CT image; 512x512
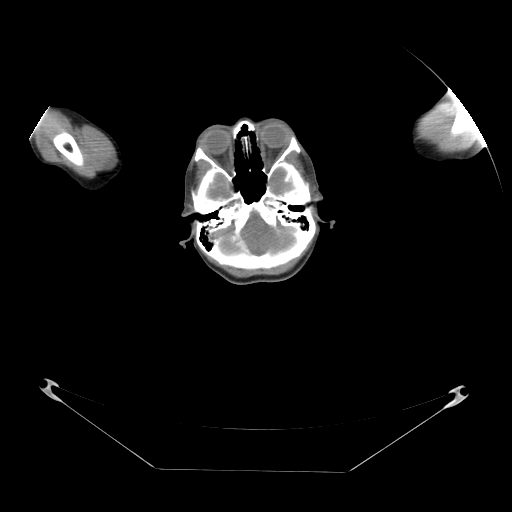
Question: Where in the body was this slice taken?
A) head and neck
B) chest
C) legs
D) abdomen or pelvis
Answer: A) head and neck
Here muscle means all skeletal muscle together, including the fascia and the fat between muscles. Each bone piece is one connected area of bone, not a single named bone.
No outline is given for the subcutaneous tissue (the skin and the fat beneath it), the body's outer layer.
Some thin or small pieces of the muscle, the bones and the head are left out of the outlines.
{"right_arm":[[[52,104],[66,106],[81,113],[87,118],[106,130],[117,142],[122,154],[122,158],[123,159],[122,167],[119,173],[104,189],[100,191],[89,191],[86,190],[80,187],[59,168],[43,164],[40,162],[34,155],[29,144],[30,136],[42,114],[45,110]]],"left_arm":[[[447,92],[450,94],[453,93],[460,100],[465,108],[469,112],[484,139],[483,147],[480,152],[469,159],[455,160],[447,162],[435,161],[417,155],[414,153],[411,147],[410,143],[410,130],[414,119],[420,113],[427,110],[444,93]]],"bones":[{"outer":[[292,134],[300,152],[292,151],[286,160],[309,185],[313,238],[299,256],[274,267],[220,264],[195,239],[193,222],[201,216],[193,212],[191,190],[210,167],[194,160],[196,148],[228,171],[233,155],[234,185],[250,202],[264,192],[260,151],[269,167]],"holes":[[[252,213],[256,213],[267,225],[274,229],[277,228],[278,224],[283,227],[291,228],[289,233],[293,237],[293,241],[287,246],[278,249],[276,251],[272,251],[270,249],[267,249],[260,254],[256,254],[251,252],[241,236],[241,231],[246,225],[252,215]],[[231,226],[233,226],[233,230],[232,231],[232,233],[229,236],[229,239],[238,247],[239,247],[240,249],[237,251],[231,251],[230,252],[228,252],[227,251],[224,251],[220,245],[223,239],[223,237],[221,235],[216,236],[215,234],[218,231],[226,229]],[[218,175],[220,175],[225,180],[225,188],[227,190],[227,191],[228,192],[228,195],[227,196],[221,196],[220,195],[219,195],[216,197],[212,197],[211,196],[210,196],[208,193],[209,192],[209,190],[215,183],[215,182],[216,181],[216,178]],[[278,169],[281,169],[284,172],[283,174],[283,176],[282,177],[282,181],[284,183],[286,184],[289,184],[290,185],[290,187],[289,188],[287,189],[285,189],[281,192],[275,192],[273,191],[272,189],[272,184],[271,183],[272,181],[272,177],[274,173]]]},{"outer":[[242,119],[248,119],[253,122],[257,130],[258,136],[257,146],[258,147],[255,144],[255,135],[252,132],[250,133],[250,137],[253,143],[252,154],[250,159],[246,159],[242,155],[239,141],[237,139],[235,143],[232,138],[232,128],[234,124]],"hole":[[243,125],[245,125],[246,126],[246,129],[247,130],[247,132],[248,133],[247,133],[246,134],[242,134],[241,135],[240,135],[239,136],[239,134],[240,133],[240,132],[241,131],[241,130],[242,129],[242,127],[243,126]]},[[62,131],[66,131],[68,133],[69,133],[74,138],[75,141],[77,143],[78,147],[83,157],[83,164],[82,165],[80,166],[79,165],[77,165],[73,163],[63,154],[62,154],[54,145],[53,141],[52,140],[53,137],[56,134],[60,133]],[[465,107],[465,108],[469,112],[470,115],[472,117],[472,118],[470,121],[470,123],[469,124],[465,133],[464,133],[463,134],[460,134],[459,135],[457,135],[456,136],[452,136],[450,134],[450,128],[451,127],[452,122],[456,118],[457,115]]],"brain":[[[252,213],[256,213],[267,225],[274,229],[277,228],[278,224],[283,227],[291,228],[289,233],[293,237],[293,241],[287,246],[278,249],[276,251],[272,251],[270,249],[267,249],[260,254],[256,254],[251,252],[241,236],[241,231],[246,225],[252,215]],[[231,226],[233,226],[233,230],[232,231],[232,233],[229,236],[229,239],[238,247],[239,247],[240,249],[237,251],[231,251],[230,252],[228,252],[227,251],[224,251],[220,245],[223,239],[223,237],[221,235],[216,236],[215,234],[218,231],[226,229]],[[218,175],[220,175],[225,180],[225,188],[227,190],[227,191],[228,192],[228,195],[227,196],[221,196],[220,195],[219,195],[216,197],[212,197],[211,196],[210,196],[208,193],[209,192],[209,190],[215,183],[215,182],[216,181],[216,178]],[[278,169],[281,169],[284,172],[283,174],[283,176],[282,177],[282,181],[284,183],[286,184],[289,184],[290,185],[290,187],[289,188],[287,189],[285,189],[281,192],[275,192],[273,191],[272,189],[272,184],[271,183],[272,181],[272,177],[274,173]]],"head":[{"outer":[[242,115],[277,117],[291,125],[313,162],[324,196],[318,214],[322,219],[335,220],[332,228],[321,224],[317,244],[305,265],[282,281],[231,283],[202,261],[191,241],[185,248],[179,244],[191,229],[180,214],[184,174],[195,139],[207,126],[233,123]],"holes":[[[251,133],[254,135],[254,144],[259,150],[259,156],[262,162],[260,170],[264,174],[265,180],[263,184],[263,192],[259,197],[247,201],[234,182],[234,178],[237,174],[234,162],[234,153],[237,140],[241,155],[246,160],[251,159],[254,147]],[[243,125],[245,125],[246,126],[246,129],[247,130],[247,132],[248,133],[247,133],[246,134],[242,134],[241,135],[240,135],[239,136],[239,134],[240,133],[240,132],[241,131],[241,130],[242,129],[242,127],[243,126]]]}],"muscle":[{"outer":[[49,108],[62,112],[69,117],[72,122],[75,124],[78,125],[88,124],[104,134],[111,142],[115,149],[117,157],[116,165],[110,170],[98,172],[93,178],[85,178],[80,176],[63,164],[45,160],[37,148],[35,141],[33,139],[33,135],[42,115]],"hole":[[62,131],[66,131],[68,133],[69,133],[74,138],[75,141],[77,143],[78,147],[83,157],[83,164],[82,165],[80,166],[79,165],[77,165],[73,163],[63,154],[62,154],[54,145],[53,141],[52,140],[53,137],[56,134],[60,133]]},[[453,99],[459,99],[464,107],[451,122],[449,128],[449,134],[452,137],[465,134],[473,119],[478,127],[477,128],[478,136],[474,143],[464,151],[443,153],[438,151],[434,145],[418,139],[416,128],[420,119],[425,114],[436,106],[443,103],[448,103]],[[311,242],[305,253],[291,269],[283,273],[275,275],[259,274],[252,275],[248,277],[236,277],[231,275],[219,266],[217,266],[211,262],[206,256],[212,258],[220,265],[225,265],[237,269],[244,269],[245,270],[270,269],[283,265],[291,260],[299,257]],[[200,160],[205,161],[209,165],[209,167],[204,172],[197,185],[190,190],[190,195],[192,200],[192,210],[190,210],[188,207],[188,195],[189,194],[189,184],[190,183],[190,174],[191,173],[190,172],[191,171],[191,168],[194,164],[194,161],[197,162]],[[292,152],[294,152],[297,154],[299,154],[301,152],[303,156],[303,158],[305,160],[306,166],[308,169],[308,171],[311,176],[313,184],[315,187],[315,195],[313,198],[310,192],[310,185],[309,183],[304,178],[294,164],[287,160],[287,157]]]}